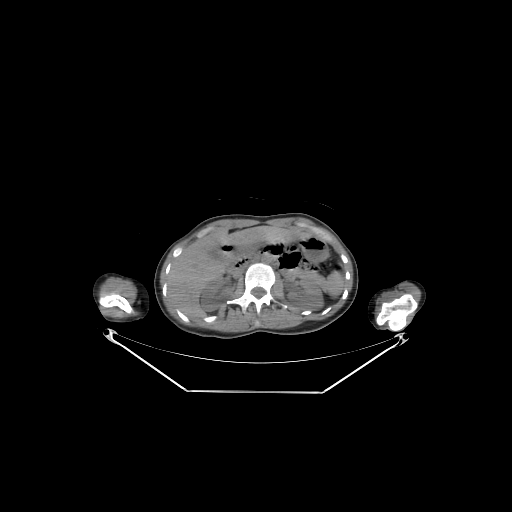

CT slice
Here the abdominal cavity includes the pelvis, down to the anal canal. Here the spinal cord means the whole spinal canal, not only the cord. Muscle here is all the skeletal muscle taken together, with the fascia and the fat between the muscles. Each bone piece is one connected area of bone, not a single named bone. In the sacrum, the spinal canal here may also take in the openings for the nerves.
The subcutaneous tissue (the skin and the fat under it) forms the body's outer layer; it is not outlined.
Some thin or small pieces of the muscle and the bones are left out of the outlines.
Outlines (x, y in pixels):
right arm: [[106,272],[117,272],[124,275],[134,277],[138,279],[145,286],[149,295],[149,310],[147,314],[143,318],[140,319],[138,321],[131,322],[130,323],[111,323],[110,322],[108,322],[104,319],[100,313],[92,297],[92,286],[94,281],[100,275]]
muscle 1: [[276,271],[283,280],[284,297],[294,306],[303,309],[300,312],[302,315],[309,315],[312,312],[316,314],[320,312],[321,315],[324,315],[331,309],[332,305],[337,303],[340,297],[341,300],[346,299],[344,304],[327,318],[308,320],[289,328],[257,327],[245,331],[222,332],[191,327],[178,321],[168,311],[162,298],[162,296],[164,298],[168,296],[177,307],[175,312],[184,323],[188,324],[190,321],[202,322],[203,320],[212,323],[217,318],[216,314],[222,301],[234,289],[236,280],[243,275],[244,288],[242,293],[237,297],[227,299],[226,304],[238,305],[243,313],[253,304],[258,315],[263,305],[269,306],[272,302],[287,309],[288,305],[276,300],[271,292],[276,281]]
muscle 2: [[288,217],[303,217],[309,219],[318,226],[329,231],[338,240],[348,254],[352,264],[353,283],[349,293],[348,289],[344,287],[345,280],[347,281],[350,279],[349,271],[347,269],[344,269],[344,265],[348,262],[348,258],[343,253],[339,255],[334,250],[330,243],[333,240],[333,237],[330,234],[316,226],[302,221],[297,221],[295,223],[296,225],[291,227],[278,227],[269,224],[256,224],[249,226],[225,224],[206,228],[196,235],[197,239],[192,241],[183,249],[182,246],[176,246],[173,249],[172,256],[175,259],[172,263],[169,262],[165,267],[164,273],[166,280],[162,284],[161,292],[160,272],[169,252],[179,242],[207,224],[222,219],[254,219],[264,221],[275,218]]
muscle 3: [[111,276],[129,280],[135,285],[137,288],[137,293],[140,297],[139,314],[123,318],[113,318],[104,313],[101,306],[104,308],[115,307],[128,314],[131,314],[134,311],[129,301],[119,293],[110,292],[106,294],[98,295],[97,294],[100,284],[108,277]]
muscle 4: [[404,283],[412,283],[420,290],[421,292],[421,297],[419,302],[415,299],[411,293],[405,292],[401,295],[395,297],[390,301],[383,301],[381,303],[380,309],[375,317],[374,311],[375,310],[377,298],[379,297],[383,292],[391,291],[397,289]]
spinal cord: [[256,287],[260,287],[261,288],[262,288],[264,290],[264,291],[265,292],[264,293],[264,294],[262,296],[261,296],[260,297],[259,297],[258,298],[257,297],[256,297],[254,295],[253,295],[252,294],[252,293],[251,292],[251,291],[254,288],[255,288]]
bones 1: [[255,262],[262,262],[272,267],[275,273],[275,281],[270,292],[276,301],[287,305],[287,308],[272,301],[269,305],[263,304],[258,314],[253,303],[251,303],[244,312],[238,304],[226,303],[227,300],[237,298],[243,293],[245,288],[245,271],[250,264]], around a hole outlined by [[256,287],[260,287],[261,288],[262,288],[264,290],[264,291],[265,292],[264,293],[264,294],[262,296],[261,296],[260,297],[259,297],[258,298],[257,297],[256,297],[254,295],[253,295],[252,294],[252,293],[251,292],[251,291],[254,288],[255,288]]
bones 2: [[405,293],[411,294],[418,303],[415,311],[413,313],[409,314],[406,317],[407,324],[405,327],[398,331],[393,331],[389,329],[388,325],[386,323],[383,325],[378,325],[375,321],[375,318],[381,309],[382,303],[383,302],[390,302],[395,298],[397,298]]
bones 3: [[110,293],[116,293],[124,297],[128,301],[128,302],[132,307],[133,309],[133,311],[131,313],[128,313],[120,309],[118,307],[116,307],[115,306],[114,307],[104,307],[100,305],[100,304],[98,302],[98,296],[99,295],[106,295]]
bones 4: [[297,222],[302,222],[310,226],[313,226],[314,227],[316,227],[320,229],[322,231],[330,235],[332,237],[332,240],[330,242],[329,242],[327,240],[324,239],[323,237],[318,235],[316,233],[314,233],[309,229],[305,228],[304,227],[298,226],[296,224]]
bones 5: [[177,308],[178,308],[179,309],[179,310],[183,314],[184,314],[185,315],[186,315],[187,316],[187,317],[188,318],[188,319],[189,320],[189,322],[188,323],[186,323],[185,322],[184,322],[180,318],[180,317],[178,315],[178,314],[176,312],[176,309]]
bones 6: [[176,247],[182,247],[182,251],[181,252],[181,253],[177,257],[176,257],[175,258],[173,256],[173,251],[174,250],[174,249]]
bones 7: [[208,315],[215,315],[216,316],[216,318],[212,322],[207,322],[206,321],[205,321],[204,320],[204,318],[206,316],[207,316]]
bones 8: [[166,281],[166,282],[167,283],[167,295],[166,296],[165,296],[164,297],[162,295],[162,287],[163,286],[163,284]]
bones 9: [[344,288],[346,288],[347,289],[347,292],[348,293],[347,294],[347,297],[345,299],[341,299],[341,295],[342,294],[342,292],[343,291],[343,290],[344,289]]
bones 10: [[341,254],[342,254],[343,254],[344,255],[345,256],[346,257],[347,258],[347,259],[347,260],[347,261],[347,262],[346,263],[345,264],[344,264],[343,263],[342,262],[342,261],[342,260],[341,259],[341,258],[340,257],[340,256],[340,255]]
bones 11: [[208,228],[212,228],[211,229],[210,229],[207,232],[206,232],[204,234],[203,234],[200,237],[198,237],[197,236],[197,235],[199,233],[201,233],[203,231],[204,231],[206,229],[207,229]]
bones 12: [[329,306],[330,306],[331,307],[330,308],[330,309],[329,310],[328,311],[327,312],[326,313],[325,313],[324,314],[323,314],[322,314],[321,314],[321,313],[321,312],[322,311],[323,310],[324,309],[325,309],[326,308],[327,307],[328,307]]
left arm: [[405,279],[413,279],[420,282],[423,285],[426,291],[426,299],[423,306],[415,315],[412,321],[403,330],[401,330],[397,333],[394,333],[392,331],[387,330],[377,330],[375,329],[369,322],[367,316],[367,306],[370,298],[376,291],[385,287],[392,286]]
abdominal cavity: [[225,225],[297,226],[323,238],[343,264],[344,283],[339,299],[318,313],[294,305],[284,295],[284,280],[280,273],[268,263],[255,261],[235,280],[233,289],[221,301],[215,314],[206,315],[202,321],[190,320],[169,297],[167,276],[186,247],[213,228]]
torso: [[285,212],[303,212],[322,220],[335,230],[353,253],[359,274],[357,294],[353,303],[340,317],[327,326],[308,333],[282,335],[256,332],[223,339],[187,333],[164,316],[155,297],[153,280],[160,257],[174,240],[202,220],[212,216],[228,213],[268,215]]